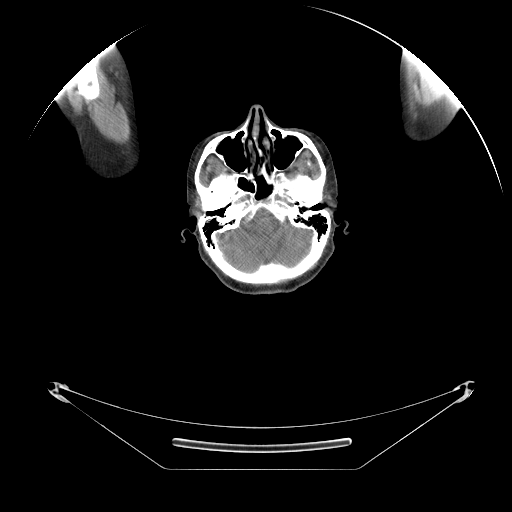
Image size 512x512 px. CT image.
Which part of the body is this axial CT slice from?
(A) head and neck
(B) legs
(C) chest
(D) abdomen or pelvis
Answer: (A) head and neck
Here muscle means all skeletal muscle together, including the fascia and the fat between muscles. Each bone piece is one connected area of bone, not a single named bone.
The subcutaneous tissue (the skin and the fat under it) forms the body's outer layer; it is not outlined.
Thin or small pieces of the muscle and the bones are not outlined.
brain: (261, 209) (267, 211) (281, 224) (288, 221) (293, 227) (301, 228) (310, 232) (310, 240) (307, 252) (292, 265) (270, 260) (260, 263) (253, 270) (244, 270) (232, 264) (226, 258) (221, 249) (220, 240) (222, 235) (229, 230) (238, 228) (243, 219) (245, 222) (249, 222)
muscle 1: (100, 60) (123, 101) (127, 113) (128, 117) (127, 144) (119, 145) (105, 139) (95, 128) (92, 121) (87, 115) (84, 117) (76, 116) (71, 106) (69, 96) (66, 93) (77, 83) (77, 92) (86, 102) (98, 98) (100, 96) (100, 84) (96, 73) (97, 71) (96, 64)
muscle 2: (409, 60) (421, 73) (423, 77) (423, 80) (426, 85) (426, 87) (428, 89) (432, 97) (434, 99) (438, 99) (431, 106) (428, 107) (423, 111) (421, 111) (415, 119) (414, 119) (410, 114) (410, 111) (409, 110) (409, 103) (408, 102) (408, 88) (407, 87) (407, 64)
muscle 3: (306, 149) (308, 150) (315, 158) (317, 162) (318, 167) (319, 168) (319, 173) (315, 177) (311, 177) (307, 173) (304, 173) (303, 172) (298, 171) (296, 172) (293, 176) (291, 177) (288, 176) (286, 174) (286, 171) (292, 168) (296, 164) (298, 157) (300, 155) (300, 154)
muscle 4: (211, 154) (214, 155) (221, 162) (223, 166) (223, 169) (217, 174) (214, 175) (209, 180) (208, 183) (206, 185) (205, 185) (202, 183) (200, 179) (200, 173) (201, 172) (201, 170) (202, 169) (202, 167) (203, 166) (203, 164) (205, 160) (207, 158) (207, 157)
muscle 5: (311, 138) (315, 140) (320, 145) (325, 156) (325, 159) (329, 168) (329, 179) (330, 180) (330, 188) (331, 189) (331, 192) (330, 193) (331, 195) (331, 199) (329, 200) (328, 199) (324, 199) (324, 194) (323, 193) (324, 191) (324, 186) (327, 178) (327, 169) (321, 154)
muscle 6: (202, 147) (203, 147) (201, 153) (193, 172) (193, 184) (195, 188) (195, 191) (198, 195) (200, 200) (200, 207) (198, 211) (198, 210) (194, 207) (194, 201) (192, 197) (192, 186) (193, 185) (192, 182) (192, 175) (193, 174) (193, 164) (195, 160) (195, 157) (199, 150)
muscle 7: (320, 259) (320, 260) (317, 264) (317, 265) (313, 269) (310, 270) (305, 275) (304, 275) (297, 279) (294, 279) (301, 276) (303, 274) (304, 274) (306, 272) (307, 272) (309, 270) (310, 270) (312, 268) (313, 268) (314, 267) (314, 266) (318, 262) (318, 261)
left arm: (402, 52) (406, 55) (408, 59) (419, 70) (422, 76) (433, 86) (446, 95) (459, 110) (448, 127) (439, 135) (428, 141) (424, 141) (423, 142) (413, 141) (409, 139) (404, 134) (402, 130) (402, 123) (400, 118) (400, 98) (398, 90) (399, 62) (402, 55)
bones 1: (255, 108) (260, 110) (259, 122) (261, 129) (258, 143) (262, 149) (262, 139) (266, 134) (263, 112) (274, 125) (301, 132) (309, 137) (320, 154) (326, 169) (322, 192) (323, 203) (316, 206) (317, 208) (327, 207) (331, 216) (330, 232) (322, 254) (313, 267) (301, 275) (275, 284) (244, 283) (225, 275) (212, 262) (204, 250) (197, 227) (196, 214) (200, 210) (201, 200) (194, 184) (194, 172) (203, 148) (219, 134) (238, 128) (246, 119) (248, 113) with holes at (261, 209) (267, 211) (281, 224) (288, 221) (293, 227) (301, 228) (310, 232) (310, 240) (307, 252) (292, 265) (270, 260) (260, 263) (253, 270) (244, 270) (232, 264) (226, 258) (221, 249) (220, 240) (222, 235) (229, 230) (238, 228) (243, 219) (245, 222) (249, 222) and at (238, 134) (241, 134) (239, 140) (242, 148) (242, 153) (243, 155) (246, 158) (247, 158) (249, 162) (249, 164) (241, 171) (237, 171) (233, 167) (232, 167) (227, 162) (225, 158) (225, 156) (218, 150) (218, 148) (222, 142) (226, 138) (229, 138) (231, 140) (233, 140) and at (274, 131) (279, 133) (279, 135) (281, 139) (284, 140) (288, 137) (292, 137) (294, 138) (300, 145) (299, 147) (298, 147) (294, 151) (293, 156) (289, 163) (283, 168) (278, 168) (273, 163) (272, 163) (272, 154) (276, 150) (276, 141) (277, 140) (277, 137) (273, 132) and at (306, 149) (308, 150) (315, 158) (317, 162) (318, 167) (319, 168) (319, 173) (315, 177) (311, 177) (307, 173) (304, 173) (303, 172) (298, 171) (296, 172) (293, 176) (291, 177) (288, 176) (286, 174) (286, 171) (292, 168) (296, 164) (298, 157) (300, 155) (300, 154) and at (211, 154) (214, 155) (221, 162) (223, 166) (223, 169) (217, 174) (214, 175) (209, 180) (208, 183) (206, 185) (205, 185) (202, 183) (200, 179) (200, 173) (201, 172) (201, 170) (202, 169) (202, 167) (203, 166) (203, 164) (205, 160) (207, 158) (207, 157) and at (258, 176) (261, 176) (263, 178) (265, 183) (268, 186) (271, 186) (271, 189) (270, 190) (270, 191) (267, 194) (266, 194) (265, 195) (261, 195) (259, 197) (258, 197) (257, 196) (257, 192) (258, 191) (258, 186) (257, 185) (257, 181) (256, 180) (256, 177) (257, 177) and at (241, 179) (245, 179) (248, 182) (249, 182) (250, 183) (251, 183) (253, 185) (253, 186) (254, 187) (253, 188) (253, 189) (252, 190) (250, 190) (249, 189) (246, 189) (244, 187) (242, 187) (240, 185) (240, 180)
bones 2: (95, 65) (95, 67) (96, 68) (96, 71) (95, 72) (95, 73) (96, 74) (96, 76) (98, 79) (98, 83) (99, 84) (99, 96) (98, 97) (97, 97) (95, 99) (93, 99) (92, 100) (90, 100) (89, 101) (86, 101) (85, 100) (85, 99) (78, 92) (78, 82)
bones 3: (424, 78) (428, 82) (429, 82) (433, 86) (434, 86) (437, 89) (438, 89) (441, 92) (442, 92) (443, 93) (442, 94) (441, 97) (440, 97) (439, 98) (434, 98) (433, 97) (432, 94) (430, 92) (429, 89) (427, 87) (427, 85) (426, 84) (426, 83) (424, 80)
head: (253, 103) (279, 126) (305, 128) (324, 141) (337, 179) (333, 217) (348, 221) (347, 234) (342, 222) (336, 228) (334, 251) (317, 276) (290, 293) (235, 292) (201, 260) (191, 233) (185, 231) (181, 242) (181, 230) (197, 224) (186, 202) (193, 148) (206, 135) (243, 122); inner edges: (238, 134) (241, 134) (239, 140) (242, 148) (242, 153) (243, 155) (246, 158) (247, 158) (249, 162) (249, 164) (241, 171) (237, 171) (233, 167) (232, 167) (227, 162) (225, 158) (225, 156) (218, 150) (218, 148) (222, 142) (226, 138) (229, 138) (231, 140) (233, 140), then (274, 131) (279, 133) (279, 135) (281, 139) (284, 140) (288, 137) (292, 137) (294, 138) (300, 145) (299, 147) (298, 147) (294, 151) (293, 156) (289, 163) (283, 168) (278, 168) (273, 163) (272, 163) (272, 154) (276, 150) (276, 141) (277, 140) (277, 137) (273, 132), then (258, 176) (261, 176) (263, 178) (265, 183) (268, 186) (271, 186) (271, 189) (270, 190) (270, 191) (267, 194) (266, 194) (265, 195) (261, 195) (259, 197) (258, 197) (257, 196) (257, 192) (258, 191) (258, 186) (257, 185) (257, 181) (256, 180) (256, 177) (257, 177), then (260, 111) (262, 112) (262, 118) (263, 119) (263, 129) (265, 132) (265, 134) (264, 134) (262, 136) (262, 138) (261, 139) (261, 144) (262, 145) (262, 148) (260, 146) (260, 144) (259, 143) (259, 136) (260, 135) (260, 133) (262, 129) (261, 123) (260, 122), then (241, 179) (245, 179) (248, 182) (249, 182) (250, 183) (251, 183) (253, 185) (253, 186) (254, 187) (253, 188) (253, 189) (252, 190) (250, 190) (249, 189) (246, 189) (244, 187) (242, 187) (240, 185) (240, 180)
right arm: (116, 48) (118, 48) (121, 51) (130, 74) (135, 105) (135, 118) (138, 129) (138, 138) (141, 148) (141, 156) (138, 165) (131, 172) (118, 178) (105, 179) (93, 173) (80, 159) (79, 157) (79, 146) (76, 134) (59, 110) (56, 104) (56, 101) (70, 90) (103, 57)